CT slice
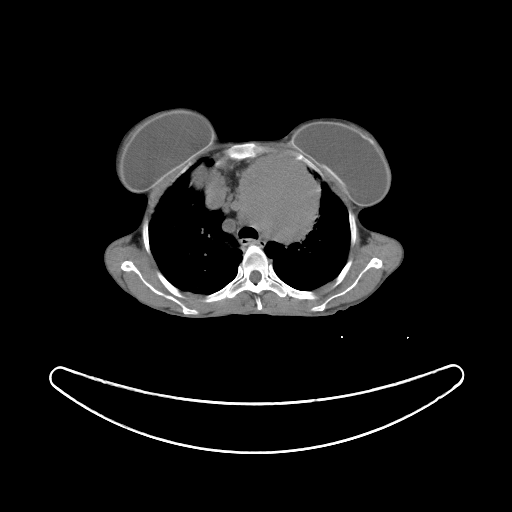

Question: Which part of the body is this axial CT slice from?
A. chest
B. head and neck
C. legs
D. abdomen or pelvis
Answer: A. chest
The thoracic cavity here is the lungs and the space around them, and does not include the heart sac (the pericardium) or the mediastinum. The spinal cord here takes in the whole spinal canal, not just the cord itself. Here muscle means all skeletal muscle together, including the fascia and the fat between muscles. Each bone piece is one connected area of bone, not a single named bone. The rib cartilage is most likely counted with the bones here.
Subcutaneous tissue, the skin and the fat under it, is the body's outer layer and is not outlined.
Outlined structures:
spinal cord: 253,271 257,271 258,272 259,272 259,273 260,274 260,279 257,282 256,282 255,283 254,282 253,282 250,279 250,274
breast implant 1: 314,122 330,122 336,124 347,125 362,132 373,142 383,157 390,177 390,186 385,197 383,199 374,204 370,205 361,205 355,202 354,199 341,182 311,156 296,147 292,143 292,137 296,131 300,128 309,125
breast implant 2: 172,111 187,111 202,117 211,126 213,130 214,134 213,144 195,154 186,160 179,167 166,174 155,187 151,189 143,189 140,191 134,191 130,189 124,183 122,179 121,167 121,160 129,141 134,132 148,121
bones 1: 252,244 263,250 271,260 274,271 284,282 299,290 313,291 318,298 280,297 271,290 263,290 258,295 262,306 260,310 257,309 256,294 249,290 243,290 232,298 202,301 205,295 221,289 235,277 244,251; inner edge: 253,271 257,271 258,272 259,272 259,273 260,274 260,279 257,282 256,282 255,283 254,282 253,282 250,279 250,274
bones 2: 125,260 131,261 144,279 156,289 167,294 169,292 156,274 157,270 160,271 169,282 185,295 184,298 179,300 187,307 196,309 199,313 197,315 184,314 182,308 177,303 152,291 134,271 122,270 121,263
bones 3: 246,142 253,142 257,145 261,145 262,146 270,147 276,150 274,150 269,153 260,154 252,158 244,158 243,159 240,159 239,160 238,159 232,159 224,155 223,151 230,147 233,144 240,144 241,143 245,143
bones 4: 373,257 377,257 382,261 381,267 369,268 363,273 354,287 344,294 331,299 326,304 324,310 322,311 311,311 310,310 310,308 312,306 322,303 331,295 338,293 348,287 355,280 358,274 364,268 370,259
bones 5: 288,149 292,149 297,152 302,153 307,158 308,158 312,162 313,162 317,166 323,170 322,171 325,177 325,181 322,180 321,178 314,171 310,169 306,164 297,160 294,158 292,155 281,151 283,150 287,150
bones 6: 145,214 147,218 149,220 149,222 148,223 148,237 149,238 149,246 150,247 150,250 151,251 151,254 152,255 149,255 146,251 145,247 144,246 143,239 142,238 142,234 141,233 141,223 142,222 142,218
bones 7: 348,208 350,208 352,210 352,211 356,215 356,226 357,227 357,230 356,231 356,239 355,240 355,242 354,243 354,244 353,245 353,246 352,247 350,247 350,227 349,226 349,217 348,216
bones 8: 349,258 350,258 352,260 352,263 351,264 351,265 350,266 347,273 345,275 344,278 336,286 335,286 334,287 332,287 332,283 333,282 333,280 338,275 338,274 340,272 340,271 346,263 347,260
bones 9: 194,159 195,159 195,161 182,174 181,174 169,186 168,186 168,184 169,183 169,182 170,181 170,180 172,178 172,177 174,175 175,175 176,174 177,174 180,171 180,170 188,162 189,162 190,161 191,161
muscle 1: 357,221 358,225 372,233 397,243 401,251 398,263 385,271 374,288 358,299 324,312 304,314 261,311 199,314 196,308 180,300 186,297 183,292 202,294 202,302 212,303 232,299 243,291 249,291 255,294 258,311 263,308 259,295 263,291 271,291 280,298 289,296 315,301 319,298 315,289 331,281 334,288 348,273 353,263 348,254 357,239; inner edge: 373,257 377,257 382,261 381,267 369,268 363,273 354,287 344,294 331,299 326,304 324,310 322,311 311,311 310,310 310,308 312,306 322,303 331,295 338,293 348,287 355,280 358,274 364,268 370,259
muscle 2: 140,232 145,251 153,257 159,269 155,271 155,274 168,293 159,290 145,279 140,270 129,259 120,263 121,270 134,272 152,292 177,304 182,313 167,307 155,306 142,300 132,293 110,270 106,256 111,246
muscle 3: 214,144 231,144 222,151 223,155 217,153 212,155 206,154 200,156 197,159 194,158 188,161 177,173 171,177 166,189 155,205 151,217 149,219 146,214 149,198 148,192 155,188 166,175 176,170 186,161
muscle 4: 276,142 285,142 293,145 311,157 341,183 353,199 356,205 356,214 350,207 347,208 342,200 329,187 326,182 326,177 323,171 324,170 302,152 297,151 292,148 277,150 270,146 257,144 256,143 275,143
torso: 176,106 201,111 222,140 277,139 315,117 365,127 383,148 392,180 386,196 364,208 359,219 399,240 402,263 365,300 324,317 189,319 140,303 103,261 106,246 138,226 147,203 120,183 114,157 134,123
mediastinum: 215,154 239,161 265,154 250,164 237,182 237,200 242,212 257,224 271,240 266,243 263,249 252,243 242,252 237,247 235,238 222,229 221,225 224,219 222,210 225,205 226,191 225,181 213,164 212,157
thoracic cavity 1: 274,151 280,151 290,155 306,165 327,184 347,209 349,227 349,250 347,259 332,280 313,290 296,288 284,281 277,274 272,260 264,251 267,243 272,240 257,223 243,212 238,200 238,182 243,173 257,160
thoracic cavity 2: 206,155 212,156 213,167 224,181 225,192 224,205 221,210 223,215 221,229 234,238 237,244 236,247 241,251 242,257 231,280 221,288 203,294 182,291 162,273 152,254 149,223 156,205 167,188 196,160